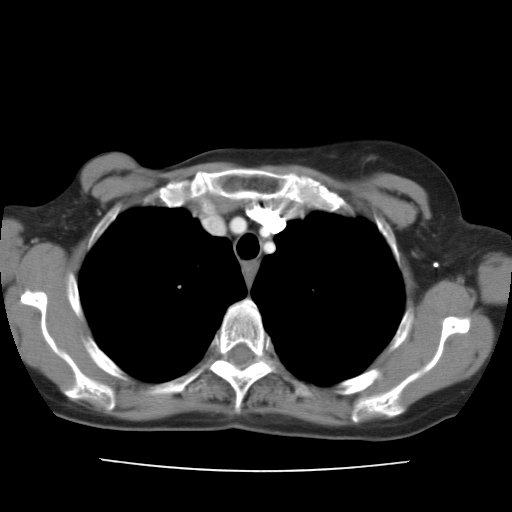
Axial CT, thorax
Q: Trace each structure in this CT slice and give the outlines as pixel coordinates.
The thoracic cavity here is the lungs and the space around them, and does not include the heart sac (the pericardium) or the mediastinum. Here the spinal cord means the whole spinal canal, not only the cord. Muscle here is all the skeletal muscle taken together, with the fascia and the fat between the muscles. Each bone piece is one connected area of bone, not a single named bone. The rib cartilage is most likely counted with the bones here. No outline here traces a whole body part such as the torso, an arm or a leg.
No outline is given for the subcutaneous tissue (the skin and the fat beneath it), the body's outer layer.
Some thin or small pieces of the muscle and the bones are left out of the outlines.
A: Outlined structures:
bones 1: (236, 167) (258, 168) (277, 173) (292, 172) (311, 177) (342, 197) (349, 205) (354, 216) (310, 210) (295, 202) (257, 197) (231, 199) (223, 196) (210, 196) (188, 200) (183, 206) (179, 207) (144, 206) (144, 200) (154, 190) (171, 181) (190, 180) (197, 171) (215, 172)
bones 2: (246, 297) (256, 305) (263, 327) (269, 335) (281, 363) (279, 372) (269, 373) (250, 385) (242, 400) (239, 413) (234, 411) (235, 391) (232, 386) (225, 379) (208, 370) (205, 370) (178, 393) (150, 394) (146, 391) (151, 386) (194, 370) (206, 357) (208, 348) (229, 306); inner edge: (240, 343) (243, 343) (245, 344) (246, 346) (252, 352) (253, 354) (253, 357) (252, 358) (252, 360) (251, 362) (245, 367) (243, 367) (242, 368) (240, 366) (238, 365) (236, 365) (228, 360) (228, 353) (229, 351) (231, 350) (236, 345)
bones 3: (447, 316) (469, 317) (469, 329) (465, 333) (449, 335) (434, 366) (403, 388) (398, 402) (405, 407) (405, 411) (388, 417) (383, 414) (369, 412) (363, 408) (358, 412) (359, 421) (353, 421) (351, 414) (358, 399) (388, 391) (430, 361) (437, 350) (442, 322)
bones 4: (26, 289) (43, 291) (46, 294) (45, 324) (49, 334) (57, 347) (68, 354) (82, 373) (114, 391) (115, 405) (112, 409) (106, 409) (108, 400) (105, 397) (100, 400) (71, 398) (62, 392) (74, 384) (74, 372) (45, 340) (41, 329) (40, 310) (20, 301) (20, 296)
bones 5: (87, 336) (90, 336) (92, 337) (99, 348) (102, 351) (103, 351) (118, 366) (119, 366) (129, 375) (129, 377) (130, 378) (129, 380) (124, 380) (123, 379) (121, 379) (116, 376) (114, 376) (106, 372) (100, 368) (94, 362) (86, 350) (83, 343) (83, 340)
bones 6: (371, 368) (378, 368) (381, 372) (381, 375) (369, 386) (360, 391) (358, 391) (354, 393) (351, 393) (350, 394) (339, 394) (336, 392) (335, 389) (336, 388) (336, 384) (337, 383) (343, 380) (345, 380) (346, 379) (357, 376) (361, 374) (367, 369) (370, 369)
bones 7: (119, 202) (121, 203) (121, 207) (122, 208) (121, 212) (95, 242) (90, 250) (89, 251) (87, 251) (87, 244) (88, 243) (88, 240) (91, 235) (93, 228) (98, 222) (98, 221) (104, 215) (104, 214) (112, 206) (113, 206) (116, 203) (118, 203)
bones 8: (375, 214) (383, 218) (389, 224) (395, 235) (396, 244) (397, 245) (397, 248) (399, 252) (399, 261) (400, 262) (400, 267) (399, 268) (394, 259) (394, 257) (392, 254) (392, 252) (390, 248) (386, 243) (384, 238) (379, 232) (376, 225) (373, 221) (374, 219) (374, 215)
bones 9: (410, 307) (412, 308) (412, 310) (413, 311) (413, 320) (411, 324) (410, 330) (407, 336) (396, 348) (391, 351) (387, 351) (386, 350) (386, 347) (388, 345) (389, 342) (396, 332) (396, 330) (398, 328) (398, 326) (401, 321) (401, 319) (403, 316) (404, 312)
bones 10: (70, 271) (73, 273) (77, 280) (77, 288) (79, 293) (79, 299) (80, 300) (80, 303) (81, 304) (81, 306) (85, 316) (85, 320) (84, 321) (81, 320) (76, 315) (69, 302) (69, 300) (67, 296) (67, 291) (66, 290) (66, 282) (67, 281) (67, 274) (68, 272)
mediastinum: (210, 197) (223, 197) (231, 200) (257, 198) (290, 202) (311, 211) (303, 219) (288, 221) (286, 227) (274, 236) (276, 249) (261, 260) (250, 289) (250, 297) (247, 296) (247, 288) (230, 241) (226, 237) (208, 233) (203, 229) (198, 219) (193, 217) (184, 207) (188, 201)
spinal cord: (240, 343) (243, 343) (245, 344) (246, 346) (252, 352) (253, 354) (253, 357) (252, 358) (252, 360) (251, 362) (245, 367) (243, 367) (242, 368) (240, 366) (238, 365) (236, 365) (228, 360) (228, 353) (229, 351) (231, 350) (236, 345)
thoracic cavity 1: (156, 206) (170, 209) (183, 207) (197, 219) (202, 229) (208, 234) (226, 238) (231, 245) (231, 251) (246, 288) (246, 296) (226, 309) (205, 356) (185, 373) (161, 382) (146, 381) (130, 375) (100, 348) (86, 318) (78, 288) (78, 275) (86, 255) (117, 217) (132, 208)
thoracic cavity 2: (312, 211) (335, 213) (352, 218) (363, 217) (373, 222) (401, 273) (405, 295) (404, 311) (387, 345) (361, 373) (331, 385) (318, 385) (300, 379) (282, 364) (264, 327) (261, 313) (251, 298) (251, 289) (262, 260) (277, 249) (275, 236) (287, 227) (288, 222) (303, 220)
muscle: (114, 152) (160, 171) (224, 161) (245, 166) (298, 164) (340, 178) (384, 171) (413, 180) (427, 192) (432, 210) (429, 219) (405, 235) (423, 291) (441, 279) (465, 274) (492, 251) (511, 256) (501, 329) (480, 378) (464, 393) (409, 422) (348, 429) (261, 423) (241, 415) (133, 421) (76, 408) (39, 391) (14, 341) (4, 303) (0, 273) (4, 222) (13, 217) (42, 241) (67, 248) (75, 245) (96, 219) (95, 203) (81, 192) (80, 173) (93, 159); inner edges: (236, 167) (311, 177) (342, 197) (355, 217) (372, 222) (375, 214) (391, 227) (404, 310) (412, 308) (413, 320) (405, 339) (371, 362) (367, 368) (381, 375) (366, 388) (339, 394) (335, 383) (300, 379) (281, 363) (279, 372) (250, 385) (236, 413) (234, 389) (211, 371) (178, 393) (150, 394) (157, 382) (114, 376) (86, 350) (83, 340) (94, 336) (73, 310) (66, 282) (70, 271) (78, 279) (98, 221) (119, 202) (122, 213) (143, 207) (171, 181), then (447, 316) (469, 317) (469, 329) (465, 333) (449, 335) (434, 366) (403, 388) (398, 402) (405, 407) (405, 411) (388, 417) (383, 414) (369, 412) (363, 408) (358, 412) (359, 421) (353, 421) (351, 414) (358, 399) (388, 391) (430, 361) (437, 350) (442, 322), then (26, 289) (43, 291) (46, 294) (45, 324) (49, 334) (57, 347) (68, 354) (82, 373) (114, 391) (115, 405) (112, 409) (106, 409) (108, 400) (105, 397) (100, 400) (71, 398) (62, 392) (74, 384) (74, 372) (45, 340) (41, 329) (40, 310) (20, 301) (20, 296), then (292, 381) (296, 381) (297, 382) (299, 382) (300, 383) (302, 383) (303, 384) (306, 385) (308, 387) (308, 388) (311, 391) (311, 394) (310, 395) (306, 395) (305, 396) (301, 396) (300, 395) (297, 395) (295, 392) (295, 386) (294, 385) (294, 384) (292, 382)